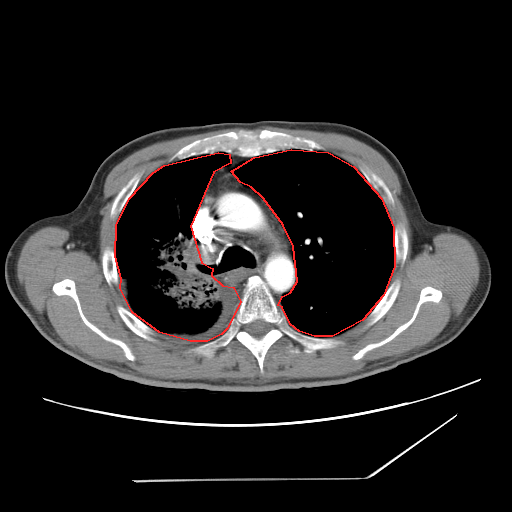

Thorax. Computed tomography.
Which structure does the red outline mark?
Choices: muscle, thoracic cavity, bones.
red: thoracic cavity.
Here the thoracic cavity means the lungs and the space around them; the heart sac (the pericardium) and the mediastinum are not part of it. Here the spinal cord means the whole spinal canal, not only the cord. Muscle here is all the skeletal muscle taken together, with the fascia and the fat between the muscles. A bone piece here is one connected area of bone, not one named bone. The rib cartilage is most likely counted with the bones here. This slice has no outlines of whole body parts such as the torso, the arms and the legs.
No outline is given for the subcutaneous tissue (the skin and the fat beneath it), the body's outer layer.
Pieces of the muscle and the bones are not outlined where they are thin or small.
The thoracic cavity appears in 2 outlined pieces: piece 1: 291 149; 328 152; 353 166; 381 198; 393 227; 394 266; 383 295; 362 320; 332 336; 314 336; 299 331; 290 324; 282 307; 278 305; 282 296; 290 292; 297 281; 293 246; 283 225; 263 198; 251 187; 240 182; 231 171; 254 157; piece 2: 218 152; 229 154; 230 163; 213 172; 190 226; 201 262; 212 268; 211 275; 222 285; 233 287; 240 301; 227 328; 221 334; 207 341; 190 341; 159 332; 132 312; 120 288; 121 278; 115 256; 116 225; 129 198; 153 172; 164 165. The bones appear in 10 outlined pieces: piece 1: 254 275; 263 280; 292 327; 309 336; 332 337; 342 342; 331 348; 307 353; 298 342; 285 335; 268 348; 262 373; 255 356; 235 338; 226 346; 218 348; 209 357; 190 351; 217 338; 228 328; 230 319; 240 304; 245 284; 248 278 with a hole at 257 319; 262 319; 265 322; 266 322; 269 326; 269 328; 268 329; 267 332; 266 332; 263 335; 262 335; 261 336; 254 336; 253 335; 250 334; 247 330; 247 328; 248 327; 247 326; 248 325; 248 324; 249 324; 251 322; 252 322; piece 2: 240 129; 254 130; 256 132; 267 129; 287 133; 293 136; 304 137; 320 144; 327 151; 310 151; 291 148; 284 151; 279 150; 256 156; 242 156; 218 151; 211 154; 205 153; 191 156; 164 164; 180 148; 197 139; 229 131; 236 132; piece 3: 65 278; 74 281; 76 293; 80 302; 82 312; 85 317; 108 336; 119 339; 124 342; 135 357; 133 361; 128 359; 125 356; 123 350; 117 344; 105 340; 84 323; 79 314; 75 301; 70 296; 57 295; 53 292; 52 290; 53 284; piece 4: 426 286; 431 286; 441 291; 442 296; 438 302; 426 301; 422 303; 412 323; 395 337; 388 342; 367 351; 359 359; 356 360; 352 358; 354 354; 366 345; 370 343; 379 342; 388 337; 399 326; 408 321; 414 312; 422 288; piece 5: 397 278; 400 280; 400 287; 399 288; 399 291; 397 294; 397 296; 394 302; 390 308; 386 312; 386 313; 381 318; 380 318; 376 322; 370 326; 365 328; 364 327; 366 323; 365 318; 370 313; 370 312; 382 298; 389 284; 393 280; piece 6: 118 304; 122 305; 125 308; 131 311; 131 312; 133 313; 141 321; 155 330; 157 332; 157 333; 156 334; 154 334; 153 336; 157 340; 157 342; 153 342; 152 341; 147 340; 133 332; 125 324; 123 320; 120 317; 116 309; 116 306; piece 7: 139 171; 143 171; 143 173; 140 178; 140 182; 139 184; 126 201; 117 218; 117 220; 116 221; 114 219; 112 219; 110 216; 110 211; 112 207; 112 204; 113 203; 114 198; 117 195; 120 190; 127 183; 130 178; 135 173; piece 8: 362 164; 363 165; 365 165; 374 173; 380 177; 389 189; 394 201; 394 205; 393 207; 392 207; 389 210; 388 210; 386 205; 384 203; 380 195; 372 187; 366 178; 359 170; 358 167; 359 165; 361 165; piece 9: 106 246; 111 246; 113 247; 114 249; 114 256; 115 257; 115 264; 116 265; 117 272; 120 278; 117 284; 113 284; 111 286; 110 286; 108 284; 104 276; 104 274; 103 273; 103 268; 102 267; 102 261; 101 260; 103 250; piece 10: 397 223; 400 223; 403 225; 403 226; 406 230; 407 236; 408 237; 408 247; 407 248; 407 254; 406 255; 405 261; 402 266; 399 263; 395 263; 395 257; 396 255; 395 254; 395 237; 394 236; 394 226. The muscle is outlined by 262 126; 341 133; 364 142; 378 151; 395 171; 401 185; 399 198; 411 228; 412 255; 421 252; 425 246; 431 248; 433 246; 433 237; 442 232; 455 233; 466 238; 476 251; 479 261; 478 282; 459 317; 451 320; 427 344; 396 357; 385 357; 371 361; 360 370; 336 376; 270 381; 152 377; 136 373; 128 369; 123 363; 92 358; 66 344; 55 332; 48 320; 45 319; 44 321; 34 309; 18 281; 17 260; 27 238; 42 227; 59 226; 69 231; 68 241; 74 243; 75 249; 82 249; 96 258; 99 253; 99 231; 103 217; 100 210; 111 198; 104 199; 103 186; 107 175; 115 165; 133 152; 159 141; 220 129; 254 129 with holes at 240 129; 311 139; 357 170; 365 165; 389 189; 392 226; 402 224; 408 237; 405 261; 389 280; 400 280; 399 291; 381 318; 366 328; 364 318; 332 336; 340 344; 310 353; 285 335; 268 348; 262 373; 235 338; 209 357; 189 350; 205 341; 158 331; 153 342; 133 332; 116 309; 131 310; 121 280; 110 286; 101 260; 106 246; 115 248; 114 198; 135 173; 143 171; 141 183; 183 146 and at 65 278; 74 281; 76 293; 80 302; 82 312; 85 317; 108 336; 119 339; 124 342; 135 357; 133 361; 128 359; 125 356; 123 350; 117 344; 105 340; 84 323; 79 314; 75 301; 70 296; 57 295; 53 292; 52 290; 53 284 and at 426 286; 431 286; 441 291; 442 296; 438 302; 426 301; 422 303; 412 323; 395 337; 388 342; 367 351; 359 359; 356 360; 352 358; 354 354; 366 345; 370 343; 379 342; 388 337; 399 326; 408 321; 414 312; 422 288 and at 289 343; 292 343; 293 344; 293 345; 294 346; 295 346; 296 347; 297 347; 299 349; 299 352; 298 353; 295 353; 294 352; 292 352; 291 351; 290 351; 290 348; 289 347. The spinal cord is outlined by 257 319; 262 319; 265 322; 266 322; 269 326; 269 328; 268 329; 267 332; 266 332; 263 335; 262 335; 261 336; 254 336; 253 335; 250 334; 247 330; 247 328; 248 327; 247 326; 248 325; 248 324; 249 324; 251 322; 252 322. The mediastinum is outlined by 230 154; 253 157; 230 171; 240 183; 262 198; 282 225; 292 246; 296 281; 293 288; 281 296; 279 303; 256 274; 247 278; 240 297; 233 286; 222 284; 212 275; 213 268; 202 262; 194 243; 191 226; 194 216; 214 172; 231 163.